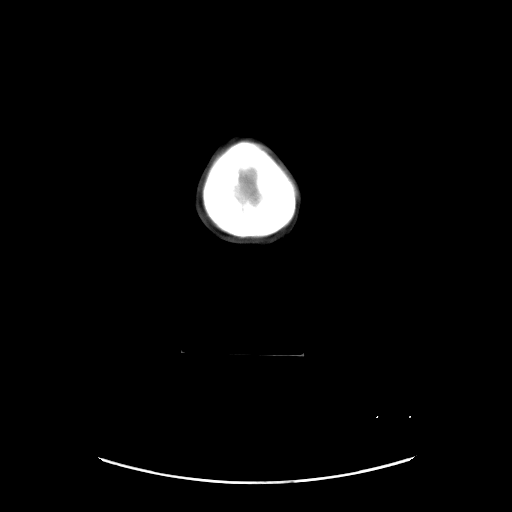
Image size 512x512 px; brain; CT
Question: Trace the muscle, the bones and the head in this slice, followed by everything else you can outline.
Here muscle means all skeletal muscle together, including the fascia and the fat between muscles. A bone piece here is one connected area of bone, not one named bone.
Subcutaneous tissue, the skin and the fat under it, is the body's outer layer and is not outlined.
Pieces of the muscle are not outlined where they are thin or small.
Answer: muscle 1: 206 171; 206 173; 204 176; 204 178; 202 182; 201 189; 200 190; 200 199; 201 200; 201 205; 202 206; 203 211; 211 223; 204 216; 204 214; 202 211; 202 208; 201 207; 201 204; 200 203; 201 202; 200 201; 200 186
muscle 2: 266 147; 267 147; 270 150; 271 150; 271 151; 273 153; 273 154; 277 158; 277 159; 278 160; 279 160; 279 161; 280 162; 281 162; 281 163; 280 163; 268 151; 268 150; 266 148
muscle 3: 228 144; 229 144; 223 150; 222 150; 213 159; 213 158; 214 157; 214 156; 222 148; 223 148; 225 146; 226 146
bones: 241 139; 248 139; 262 144; 267 151; 287 170; 293 178; 297 186; 298 195; 297 196; 296 211; 293 218; 285 227; 279 231; 267 236; 238 237; 226 233; 217 228; 212 223; 205 213; 202 205; 201 190; 209 166; 213 160; 230 144, around a hole outlined by 242 174; 244 175; 250 175; 253 178; 253 181; 254 182; 254 186; 255 187; 255 189; 256 190; 256 193; 257 194; 257 197; 255 200; 254 200; 251 197; 250 197; 247 194; 246 194; 242 189; 242 183; 240 180; 240 178
head: 234 133; 249 134; 269 144; 277 152; 292 172; 299 185; 302 196; 299 220; 293 231; 287 237; 277 243; 266 246; 238 246; 226 243; 214 237; 206 230; 198 219; 194 210; 193 194; 196 181; 200 172; 210 154; 216 146; 224 138
brain: 242 174; 244 175; 250 175; 253 178; 253 181; 254 182; 254 186; 255 187; 255 189; 256 190; 256 193; 257 194; 257 197; 255 200; 254 200; 251 197; 250 197; 247 194; 246 194; 242 189; 242 183; 240 180; 240 178